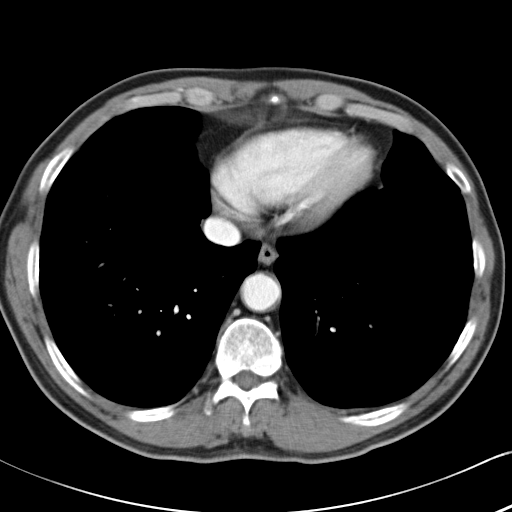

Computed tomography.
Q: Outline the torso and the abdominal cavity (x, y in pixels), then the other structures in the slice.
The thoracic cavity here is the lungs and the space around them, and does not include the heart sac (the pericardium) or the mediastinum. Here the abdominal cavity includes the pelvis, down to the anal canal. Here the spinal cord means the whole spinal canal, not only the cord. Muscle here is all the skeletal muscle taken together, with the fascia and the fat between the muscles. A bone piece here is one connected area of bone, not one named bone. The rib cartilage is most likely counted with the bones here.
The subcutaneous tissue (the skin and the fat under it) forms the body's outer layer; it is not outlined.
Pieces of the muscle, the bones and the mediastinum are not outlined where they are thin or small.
A: {"torso":[[[266,65],[309,67],[383,84],[422,104],[451,130],[482,178],[503,241],[505,291],[499,326],[479,369],[449,408],[417,431],[364,454],[317,464],[146,457],[74,421],[30,375],[0,313],[0,212],[38,145],[77,106],[109,85],[159,68]]],"abdominal_cavity":[[[275,106],[293,108],[294,109],[301,109],[302,110],[309,111],[311,112],[311,113],[308,113],[305,115],[301,115],[300,116],[271,117],[260,122],[246,121],[242,119],[232,118],[231,117],[213,113],[229,111],[230,110],[236,110],[237,109],[274,107]]],"spinal_cord":[[[243,370],[248,370],[249,371],[252,372],[254,374],[255,374],[259,378],[259,380],[258,381],[258,382],[254,386],[251,387],[249,389],[243,389],[236,382],[235,382],[234,381],[234,377],[238,373],[239,373],[241,371],[242,371]]],"muscle":[{"outer":[[185,76],[209,76],[210,77],[236,79],[237,80],[267,80],[268,81],[276,79],[285,79],[286,78],[310,78],[311,79],[325,80],[326,81],[335,82],[339,84],[343,84],[401,107],[417,120],[426,125],[444,141],[462,163],[473,182],[479,203],[479,208],[481,214],[483,216],[488,232],[491,237],[494,250],[495,258],[494,259],[494,267],[493,268],[491,289],[490,290],[490,316],[487,324],[486,331],[484,334],[484,339],[470,365],[451,388],[422,411],[396,426],[380,432],[369,438],[351,445],[330,451],[301,452],[294,450],[288,450],[280,448],[270,442],[267,442],[257,438],[249,438],[248,437],[242,437],[234,439],[224,444],[220,444],[213,447],[203,447],[202,446],[186,447],[185,448],[164,447],[139,441],[108,425],[74,401],[58,386],[46,371],[36,354],[27,342],[19,327],[19,325],[17,323],[11,306],[8,301],[4,284],[4,271],[5,270],[4,269],[5,268],[8,235],[20,198],[28,182],[28,180],[34,168],[49,151],[83,119],[97,109],[108,99],[120,93],[136,87]],"holes":[[[178,87],[199,87],[214,94],[207,106],[190,104],[183,97],[175,104],[203,113],[279,106],[318,115],[351,117],[344,111],[349,103],[398,113],[412,122],[413,135],[444,171],[445,164],[451,162],[464,174],[470,192],[461,195],[470,235],[478,239],[485,253],[485,266],[482,275],[473,278],[467,309],[467,318],[475,316],[477,324],[470,341],[450,366],[447,368],[445,359],[417,389],[393,403],[410,402],[397,417],[378,425],[344,422],[340,417],[358,414],[357,411],[315,400],[282,367],[271,377],[277,383],[279,399],[255,400],[249,410],[250,425],[245,426],[243,406],[233,396],[214,404],[210,415],[204,412],[206,399],[220,381],[216,368],[210,363],[175,407],[173,415],[141,422],[125,415],[135,407],[106,398],[83,380],[81,385],[89,398],[57,370],[44,342],[44,335],[51,338],[53,335],[42,297],[40,293],[35,298],[32,296],[27,278],[28,250],[35,239],[40,241],[49,193],[39,191],[43,172],[64,148],[72,146],[76,152],[111,118],[129,112],[120,106],[125,99],[173,91]],[[320,94],[333,94],[334,95],[337,95],[341,97],[343,99],[343,101],[344,102],[342,106],[341,106],[339,108],[335,110],[323,110],[322,109],[319,109],[317,107],[316,107],[315,105],[315,103],[314,102],[315,101],[315,99],[316,97]],[[272,94],[277,94],[282,99],[282,101],[281,102],[281,103],[280,103],[279,104],[271,104],[270,103],[268,103],[267,102],[266,102],[267,101],[267,100],[268,99],[268,98]]]}],"thoracic_cavity":[[[165,105],[199,114],[193,144],[208,173],[211,205],[199,222],[202,233],[220,246],[254,241],[259,249],[255,269],[243,279],[228,306],[212,363],[202,377],[173,403],[136,408],[90,387],[54,340],[40,293],[40,237],[50,189],[84,142],[116,115]],[[395,129],[417,137],[458,187],[465,203],[471,236],[473,281],[467,319],[439,367],[417,389],[393,404],[358,412],[315,400],[283,367],[282,286],[274,270],[280,256],[277,241],[312,232],[356,194],[368,188],[381,189],[384,186],[382,165],[393,145]]],"mediastinum":[[[211,209],[239,224],[254,238],[277,239],[279,256],[274,262],[273,270],[281,286],[280,339],[264,322],[249,316],[234,319],[220,333],[236,292],[244,279],[257,267],[260,243],[245,240],[236,245],[225,246],[210,241],[203,233],[200,222],[210,214]],[[199,112],[202,112],[203,113],[212,113],[216,115],[219,115],[232,119],[242,120],[246,122],[258,123],[251,125],[238,134],[230,138],[212,157],[207,169],[200,163],[197,157],[197,152],[194,144],[194,139],[197,135],[200,127],[200,114]],[[312,113],[318,115],[324,115],[325,116],[351,117],[352,118],[376,122],[394,128],[392,132],[393,142],[382,164],[382,159],[383,158],[382,146],[378,138],[368,128],[354,125],[346,122],[341,122],[340,121],[335,121],[334,120],[305,116]],[[381,165],[381,170],[380,171],[380,178],[381,179],[381,181],[383,184],[383,186],[381,188],[380,188],[379,189],[378,188],[376,188],[375,187],[368,187],[369,187],[373,183],[373,182],[377,177],[377,176],[378,175],[378,173],[380,170]]],"bones":[{"outer":[[242,317],[254,318],[264,323],[277,335],[283,348],[282,367],[271,377],[277,383],[279,399],[255,400],[249,410],[249,426],[243,425],[243,406],[233,396],[227,396],[214,404],[210,415],[204,412],[206,399],[220,381],[213,365],[217,339],[228,324]],"hole":[[243,370],[248,370],[249,371],[252,372],[254,374],[255,374],[259,378],[259,380],[258,381],[258,382],[254,386],[251,387],[249,389],[243,389],[236,382],[235,382],[234,381],[234,377],[238,373],[239,373],[241,371],[242,371]]},[[178,87],[181,87],[185,89],[193,87],[199,87],[211,91],[214,94],[214,99],[207,106],[200,106],[190,104],[183,97],[180,101],[175,104],[145,106],[131,110],[122,108],[120,106],[120,103],[122,101],[132,96],[158,93],[164,91],[173,91]],[[349,103],[364,104],[372,107],[376,107],[401,114],[407,117],[412,122],[413,124],[413,134],[409,134],[400,131],[390,125],[388,125],[385,123],[382,123],[379,121],[376,121],[373,119],[366,119],[358,116],[348,115],[344,111],[344,109],[346,105]],[[400,402],[410,402],[409,406],[397,417],[387,422],[385,422],[378,425],[360,425],[359,424],[354,424],[350,422],[344,422],[340,420],[340,417],[342,416],[350,415],[351,414],[358,414],[359,413],[368,412],[376,409],[379,409],[382,407],[390,406]],[[44,335],[48,335],[53,339],[65,360],[72,368],[75,373],[82,380],[81,385],[90,395],[91,397],[90,398],[81,394],[78,391],[77,391],[63,378],[63,377],[57,370],[56,367],[54,365],[50,357],[50,355],[47,350],[46,345],[44,342]],[[68,146],[72,146],[74,147],[75,149],[74,150],[74,152],[67,160],[60,170],[59,173],[52,183],[49,189],[49,191],[46,193],[44,192],[41,193],[39,191],[39,185],[40,184],[40,181],[41,180],[43,172],[46,166],[50,160],[56,154]],[[183,398],[183,400],[175,407],[175,413],[170,417],[164,419],[160,419],[155,421],[144,421],[141,422],[140,421],[132,420],[125,415],[125,412],[129,410],[132,410],[133,409],[146,409],[147,408],[154,408],[155,407],[165,406],[166,405],[173,404]],[[35,239],[36,239],[39,242],[39,293],[37,295],[37,296],[35,298],[34,298],[32,296],[32,295],[30,292],[30,290],[29,289],[29,284],[28,283],[28,279],[27,278],[27,255],[28,254],[28,250],[29,249],[29,247],[30,246],[30,244]],[[473,316],[475,316],[477,319],[477,324],[476,325],[474,333],[470,341],[468,343],[464,350],[458,357],[458,358],[450,366],[449,366],[447,368],[447,364],[448,363],[448,361],[446,359],[449,355],[460,333],[462,331],[467,320],[469,318]],[[475,236],[482,244],[482,245],[483,246],[483,248],[484,249],[484,252],[485,253],[485,266],[484,267],[484,269],[483,270],[483,272],[482,273],[482,275],[479,278],[476,278],[475,277],[474,277],[474,270],[473,269],[473,255],[472,254],[472,238]],[[447,162],[451,162],[453,163],[462,171],[465,177],[467,179],[468,181],[468,183],[470,186],[470,192],[469,193],[464,193],[463,194],[461,192],[459,187],[450,178],[450,177],[446,173],[445,171],[445,164]],[[320,94],[333,94],[334,95],[337,95],[341,97],[343,99],[343,101],[344,102],[342,106],[341,106],[339,108],[335,110],[323,110],[322,109],[319,109],[317,107],[316,107],[315,105],[315,103],[314,102],[315,101],[315,99],[316,97]]],"pericardium":[[[301,116],[346,123],[368,129],[377,138],[381,146],[382,158],[379,170],[369,186],[348,199],[331,218],[316,229],[302,234],[279,238],[254,237],[247,233],[239,223],[214,211],[212,208],[208,172],[209,165],[217,152],[230,139],[251,126],[271,118]]]}